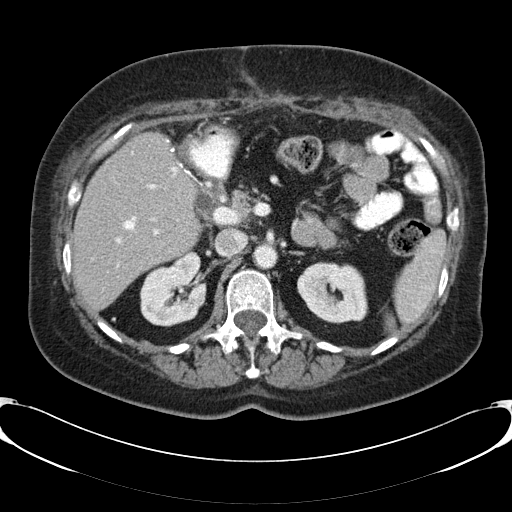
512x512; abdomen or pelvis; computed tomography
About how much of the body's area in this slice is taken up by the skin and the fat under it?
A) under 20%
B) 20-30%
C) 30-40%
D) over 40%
C) 30-40%
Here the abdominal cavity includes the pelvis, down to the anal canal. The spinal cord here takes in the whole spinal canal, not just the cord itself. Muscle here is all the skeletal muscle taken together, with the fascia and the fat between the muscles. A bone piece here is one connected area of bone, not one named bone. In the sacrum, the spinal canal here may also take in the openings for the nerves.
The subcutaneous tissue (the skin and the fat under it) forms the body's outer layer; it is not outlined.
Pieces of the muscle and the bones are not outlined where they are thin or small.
{"abdominal_cavity":[[[275,105],[392,126],[421,144],[445,190],[448,229],[431,303],[413,325],[380,342],[338,345],[296,323],[265,273],[241,267],[229,277],[224,298],[215,299],[207,320],[177,343],[155,344],[114,329],[86,303],[72,274],[72,220],[88,174],[144,129]]],"torso":[[[269,43],[337,46],[385,58],[434,83],[467,111],[482,142],[488,203],[483,337],[477,351],[453,375],[415,394],[309,420],[283,419],[254,408],[219,419],[184,417],[67,378],[42,356],[27,318],[34,179],[60,121],[92,86],[135,61],[185,49]]],"spinal_cord":[[[246,310],[254,310],[255,311],[258,311],[262,314],[263,314],[266,318],[266,321],[265,323],[255,333],[255,334],[252,336],[250,336],[248,335],[241,328],[237,326],[234,322],[234,317],[235,315],[239,312],[241,312],[242,311],[245,311]]],"bones":[{"outer":[[241,268],[267,276],[274,293],[276,321],[303,335],[300,339],[285,339],[278,354],[265,347],[266,339],[261,338],[254,351],[254,363],[260,371],[256,378],[245,375],[250,360],[241,339],[237,349],[225,354],[217,340],[200,338],[224,323],[226,287]],"hole":[[246,310],[254,310],[255,311],[258,311],[262,314],[263,314],[266,318],[266,321],[265,323],[255,333],[255,334],[252,336],[250,336],[248,335],[241,328],[237,326],[234,322],[234,317],[235,315],[239,312],[241,312],[242,311],[245,311]]},[[131,121],[134,122],[135,124],[117,141],[117,142],[111,149],[110,149],[107,152],[104,153],[99,158],[93,161],[89,161],[89,158],[90,156],[99,145],[100,145],[107,138],[108,138],[112,134],[113,134],[120,127],[121,127],[123,125]],[[418,136],[422,136],[424,137],[440,153],[440,154],[444,158],[445,160],[445,164],[447,167],[447,170],[448,171],[448,175],[446,176],[442,174],[441,171],[437,167],[435,162],[431,158],[428,152],[425,149],[425,148],[422,145],[422,144],[418,139]],[[75,178],[76,178],[79,181],[79,182],[80,183],[80,188],[81,189],[81,196],[80,197],[79,200],[77,202],[77,203],[73,207],[70,208],[68,206],[68,205],[67,204],[67,194],[68,193],[68,191],[70,188],[71,183],[72,182],[72,181]],[[455,205],[456,205],[458,208],[458,218],[459,219],[459,224],[458,225],[457,230],[453,232],[451,231],[448,228],[447,226],[447,224],[446,223],[446,217],[447,216],[447,213],[450,210],[451,210],[453,206]],[[67,240],[69,240],[70,241],[70,250],[71,251],[71,272],[70,273],[70,274],[69,274],[68,275],[65,272],[65,270],[64,269],[64,266],[63,265],[63,261],[62,260],[62,251],[63,250],[63,246],[64,245],[64,244],[65,243],[65,242]],[[395,335],[396,335],[398,337],[398,340],[391,347],[390,347],[388,349],[387,349],[386,350],[385,350],[380,353],[378,353],[375,355],[370,355],[369,354],[369,353],[382,341],[383,341],[385,339],[386,339],[389,337],[391,337],[392,336],[394,336]],[[98,319],[102,319],[109,326],[110,326],[116,332],[116,333],[122,339],[122,340],[123,341],[121,343],[120,342],[118,342],[117,341],[114,340],[112,338],[109,337],[105,333],[104,333],[100,329],[100,328],[97,325],[97,320]],[[321,340],[324,340],[325,341],[330,342],[338,346],[343,346],[344,347],[344,349],[339,352],[330,352],[326,350],[323,350],[322,349],[320,349],[318,348],[315,345],[315,343],[317,341],[320,341]],[[444,264],[446,265],[447,269],[448,270],[448,278],[447,279],[447,283],[446,284],[446,286],[443,291],[442,295],[440,297],[438,297],[437,296],[437,290],[438,289],[438,285],[439,284],[440,276],[441,275],[441,272],[442,271],[442,267]]],"muscle":[{"outer":[[280,94],[293,94],[294,95],[303,95],[304,96],[325,95],[365,105],[372,105],[373,106],[391,108],[417,119],[448,149],[449,152],[452,155],[462,186],[463,200],[464,201],[464,211],[465,212],[465,236],[463,241],[463,247],[461,250],[454,283],[450,288],[449,295],[446,302],[442,307],[441,313],[429,329],[429,331],[426,336],[419,343],[413,347],[394,356],[380,365],[371,368],[364,372],[348,376],[343,379],[340,379],[329,383],[325,386],[309,390],[296,390],[295,389],[291,390],[290,389],[276,388],[273,385],[259,379],[241,381],[231,386],[221,387],[220,388],[218,387],[217,388],[192,389],[191,388],[182,387],[165,378],[159,377],[156,374],[150,372],[144,368],[141,368],[137,365],[127,361],[124,358],[115,355],[97,345],[83,332],[68,303],[58,274],[57,264],[55,259],[55,223],[57,216],[60,192],[62,187],[61,186],[68,168],[72,161],[78,156],[84,146],[101,129],[106,125],[115,121],[139,107],[176,100],[181,98],[225,98],[230,96],[233,97],[266,97]],"holes":[[[275,105],[399,128],[418,143],[418,136],[424,137],[440,153],[448,171],[446,176],[436,168],[446,212],[456,205],[459,219],[457,230],[448,230],[448,278],[442,295],[436,293],[419,319],[375,355],[369,353],[379,342],[345,346],[339,352],[318,348],[315,343],[321,339],[296,323],[277,295],[276,321],[303,335],[285,339],[278,354],[261,338],[254,351],[260,371],[256,378],[245,375],[250,360],[241,339],[237,349],[225,354],[217,340],[200,338],[224,323],[222,295],[207,320],[179,342],[191,345],[182,353],[116,329],[123,341],[109,337],[97,325],[102,318],[63,265],[63,246],[72,240],[75,207],[67,204],[72,181],[76,178],[81,189],[102,158],[144,129]],[[131,121],[134,122],[135,124],[117,141],[117,142],[111,149],[110,149],[107,152],[104,153],[99,158],[93,161],[89,161],[89,158],[90,156],[99,145],[100,145],[107,138],[108,138],[112,134],[113,134],[120,127],[121,127],[123,125]]]}]}